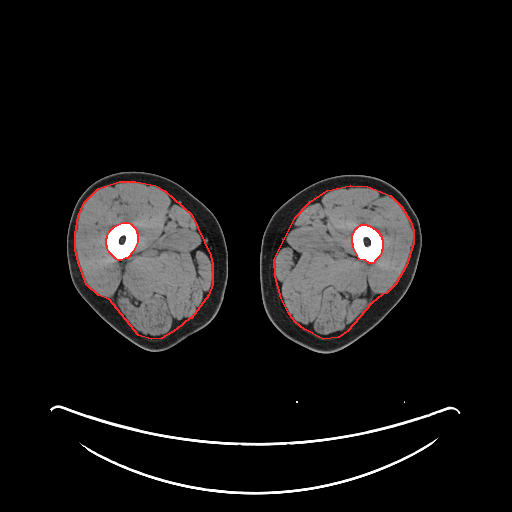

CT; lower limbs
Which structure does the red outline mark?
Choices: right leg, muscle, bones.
red: muscle.
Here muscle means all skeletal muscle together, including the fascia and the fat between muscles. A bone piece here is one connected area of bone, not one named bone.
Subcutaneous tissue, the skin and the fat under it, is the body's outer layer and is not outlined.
The muscle appears in 2 outlined pieces: piece 1: 119,181 135,181 155,185 164,190 191,214 210,255 212,264 212,284 208,295 191,318 189,318 176,329 161,338 151,339 138,335 109,299 98,295 86,284 78,262 75,249 75,233 78,216 84,202 98,188 with a hole at 122,222 128,222 130,223 135,228 136,230 136,232 137,233 137,242 132,252 127,258 125,258 121,260 118,260 116,259 109,252 107,248 107,246 106,245 106,238 107,237 107,235 109,231 114,226; piece 2: 350,185 367,186 390,195 401,206 410,221 413,230 413,243 406,265 395,284 386,293 382,294 371,303 347,331 338,337 323,339 304,329 295,322 289,314 281,298 275,276 274,259 295,217 309,202 327,190 with a hole at 361,224 366,224 367,225 369,225 376,230 377,230 377,231 381,236 381,238 382,239 382,249 381,250 381,252 379,256 374,261 373,263 369,263 365,260 359,259 353,247 353,244 352,243 352,235 356,228. The right leg is outlined by 124,171 154,173 181,185 211,210 222,228 226,241 228,253 228,279 219,311 205,327 163,351 152,352 145,350 111,327 81,297 74,287 69,273 66,253 66,237 71,214 78,198 86,188 96,180 109,174. The left leg is outlined by 343,174 373,176 382,179 397,188 405,196 419,220 422,236 421,251 410,286 398,303 377,325 339,351 333,353 318,353 288,339 276,329 266,315 262,304 259,282 260,247 262,236 269,219 284,202 317,181. The bones appear in 2 outlined pieces: piece 1: 122,222 128,222 130,223 135,228 136,230 136,232 137,233 137,242 132,252 127,258 125,258 121,260 118,260 116,259 109,252 107,248 107,246 106,245 106,238 107,237 107,235 109,231 114,226; piece 2: 361,224 366,224 367,225 369,225 376,230 377,230 377,231 381,236 381,238 382,239 382,249 381,250 381,252 379,256 374,261 373,263 369,263 365,260 359,259 353,247 353,244 352,243 352,235 356,228.